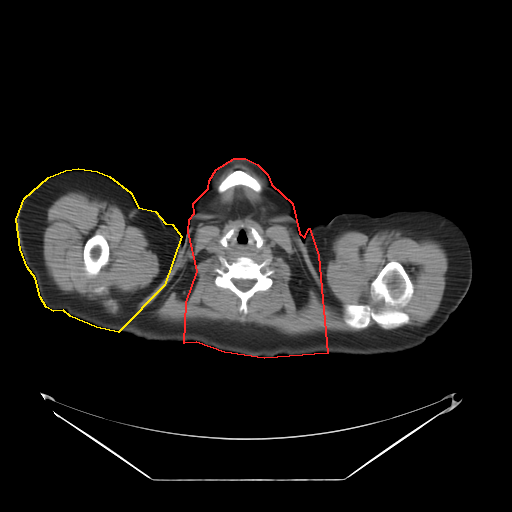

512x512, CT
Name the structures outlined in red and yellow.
red: head and neck; yellow: right arm.
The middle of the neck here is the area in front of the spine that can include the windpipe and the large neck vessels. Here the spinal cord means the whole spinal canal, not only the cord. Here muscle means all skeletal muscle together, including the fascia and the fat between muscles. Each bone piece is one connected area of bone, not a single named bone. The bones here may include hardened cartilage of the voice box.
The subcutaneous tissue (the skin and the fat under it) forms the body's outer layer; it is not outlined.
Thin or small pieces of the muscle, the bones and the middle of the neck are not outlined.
head and neck: (234, 158) (245, 158) (257, 164) (267, 174) (271, 184) (292, 203) (299, 233) (304, 237) (309, 228) (318, 255) (327, 353) (264, 358) (224, 352) (196, 342) (184, 343) (186, 302) (197, 271) (188, 231) (189, 219) (194, 213) (193, 203) (208, 188) (209, 180) (216, 169)
right arm: (78, 168) (97, 171) (109, 176) (130, 192) (138, 207) (155, 211) (165, 223) (172, 224) (181, 236) (164, 285) (118, 332) (96, 327) (70, 316) (63, 310) (53, 311) (46, 307) (40, 297) (35, 278) (27, 267) (20, 249) (16, 219) (24, 198) (48, 177) (65, 170)
left arm: (416, 209) (426, 209) (441, 213) (452, 219) (463, 230) (471, 249) (472, 280) (468, 291) (458, 307) (435, 334) (430, 336) (417, 347) (396, 353) (381, 354) (335, 312) (321, 250) (322, 240) (327, 222) (341, 213) (355, 212) (366, 213) (372, 216) (382, 216) (396, 210)
muscle 1: (234, 164) (244, 164) (263, 178) (267, 195) (292, 229) (303, 261) (321, 290) (327, 287) (324, 274) (329, 247) (349, 228) (397, 228) (439, 242) (446, 251) (448, 268) (435, 314) (421, 326) (404, 325) (410, 317) (401, 308) (411, 300) (414, 285) (404, 266) (392, 259) (370, 283) (370, 296) (383, 306) (342, 305) (347, 326) (364, 329) (372, 320) (380, 328) (291, 336) (254, 323) (170, 323) (143, 315) (182, 263) (199, 216) (214, 195) (215, 181) with holes at (241, 223) (253, 227) (264, 241) (261, 251) (246, 256) (259, 264) (270, 258) (268, 267) (273, 270) (271, 286) (256, 291) (247, 300) (246, 314) (239, 311) (240, 298) (214, 281) (215, 269) (221, 266) (220, 256) (230, 264) (242, 256) (224, 249) (219, 241) and at (235, 170) (241, 170) (244, 172) (246, 172) (248, 174) (255, 178) (261, 184) (261, 186) (262, 187) (261, 190) (259, 192) (257, 192) (246, 185) (243, 185) (242, 184) (237, 184) (231, 187) (229, 187) (223, 192) (219, 192) (217, 190) (217, 188) (219, 184) (230, 173)
muscle 2: (69, 191) (102, 195) (112, 200) (137, 227) (144, 231) (151, 249) (158, 256) (161, 270) (159, 279) (144, 293) (123, 304) (124, 311) (120, 315) (106, 312) (97, 301) (86, 299) (77, 293) (63, 293) (51, 282) (47, 274) (43, 259) (43, 233) (47, 208) (59, 196); inner edges: (96, 233) (101, 234) (106, 239) (108, 243) (108, 246) (109, 247) (109, 257) (108, 258) (108, 262) (107, 264) (103, 266) (96, 275) (94, 276) (88, 276) (86, 274) (86, 272) (84, 269) (84, 262) (83, 261) (83, 250) (84, 249) (84, 245) (87, 239) (92, 235), then (108, 299) (112, 299) (113, 300) (114, 300) (115, 301) (115, 302) (116, 303) (116, 304) (117, 305) (117, 309) (115, 311) (114, 311) (113, 310) (113, 307) (111, 305) (110, 305) (109, 304) (106, 304) (106, 301), then (99, 287) (105, 287) (107, 289) (107, 292) (104, 292) (103, 293) (101, 293) (100, 294) (99, 293) (96, 293) (94, 291) (94, 290) (96, 288) (98, 288)
bones 1: (392, 260) (399, 262) (403, 266) (413, 285) (410, 300) (400, 308) (408, 315) (408, 322) (392, 329) (383, 329) (372, 319) (364, 328) (357, 329) (347, 325) (343, 319) (344, 304) (365, 304) (375, 309) (384, 306) (382, 300) (376, 301) (371, 296) (371, 283) (381, 269)
bones 2: (220, 256) (230, 264) (238, 257) (242, 256) (249, 257) (259, 264) (267, 258) (271, 259) (268, 267) (273, 270) (270, 275) (272, 284) (266, 290) (256, 291) (247, 300) (246, 314) (239, 311) (241, 300) (234, 292) (215, 284) (214, 281) (217, 275) (215, 269) (221, 266), around a hole outlined by (232, 279) (243, 279) (244, 280) (246, 280) (247, 279) (248, 280) (255, 280) (255, 282) (253, 284) (253, 285) (249, 289) (248, 289) (247, 290) (246, 290) (245, 291) (242, 291) (240, 289) (239, 289) (234, 284) (234, 283) (232, 281)
bones 3: (96, 233) (101, 234) (106, 239) (108, 243) (108, 246) (109, 247) (109, 257) (108, 258) (108, 262) (107, 264) (103, 266) (96, 275) (94, 276) (88, 276) (86, 274) (86, 272) (84, 269) (84, 262) (83, 261) (83, 250) (84, 249) (84, 245) (87, 239) (92, 235)
bones 4: (235, 170) (241, 170) (244, 172) (246, 172) (248, 174) (255, 178) (261, 184) (261, 186) (262, 187) (261, 190) (259, 192) (257, 192) (246, 185) (243, 185) (242, 184) (237, 184) (231, 187) (229, 187) (223, 192) (219, 192) (217, 190) (217, 188) (219, 184) (230, 173)
bones 5: (250, 226) (253, 227) (263, 238) (263, 240) (264, 241) (263, 242) (263, 244) (261, 247) (258, 247) (256, 245) (257, 244) (256, 243) (257, 242) (256, 241) (256, 240) (255, 239) (255, 238) (254, 237) (254, 236) (253, 235) (253, 234) (251, 231) (251, 229) (250, 228)
bones 6: (233, 227) (234, 228) (234, 231) (233, 232) (233, 233) (230, 236) (230, 237) (227, 240) (227, 245) (226, 246) (226, 247) (225, 247) (224, 246) (223, 246) (220, 243) (220, 242) (219, 241) (220, 240) (220, 239) (231, 228) (232, 228)
bones 7: (108, 299) (112, 299) (113, 300) (114, 300) (115, 301) (115, 302) (116, 303) (116, 304) (117, 305) (117, 309) (115, 311) (114, 311) (113, 310) (113, 307) (111, 305) (110, 305) (109, 304) (106, 304) (106, 301)
spinal cord: (232, 279) (243, 279) (244, 280) (246, 280) (247, 279) (248, 280) (255, 280) (255, 282) (253, 284) (253, 285) (249, 289) (248, 289) (247, 290) (246, 290) (245, 291) (242, 291) (240, 289) (239, 289) (234, 284) (234, 283) (232, 281)
middle of the neck: (241, 223) (247, 224) (249, 226) (250, 231) (256, 242) (255, 245) (258, 248) (261, 248) (263, 245) (262, 250) (258, 253) (254, 253) (251, 255) (244, 256) (232, 253) (224, 249) (223, 247) (225, 248) (227, 247) (228, 240) (235, 231) (234, 226)
torso 1: (187, 230) (196, 266) (196, 271) (188, 293) (187, 300) (185, 302) (184, 319) (183, 320) (183, 343) (182, 342) (147, 341) (141, 338) (135, 337) (128, 333) (119, 332) (132, 321) (135, 315) (165, 285) (173, 261) (178, 250) (180, 242) (182, 238) (183, 239) (184, 238)
torso 2: (318, 222) (326, 222) (326, 225) (321, 240) (320, 250) (330, 292) (333, 310) (335, 313) (378, 352) (380, 354) (378, 355) (349, 355) (348, 354) (330, 354) (328, 353) (324, 311) (322, 309) (322, 301) (321, 300) (319, 255) (318, 251) (314, 245) (310, 230) (310, 227)